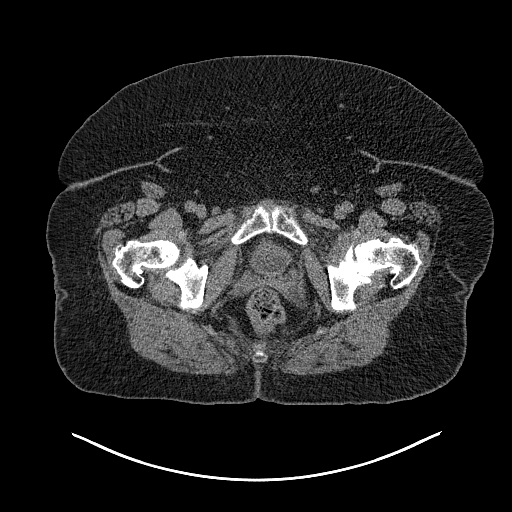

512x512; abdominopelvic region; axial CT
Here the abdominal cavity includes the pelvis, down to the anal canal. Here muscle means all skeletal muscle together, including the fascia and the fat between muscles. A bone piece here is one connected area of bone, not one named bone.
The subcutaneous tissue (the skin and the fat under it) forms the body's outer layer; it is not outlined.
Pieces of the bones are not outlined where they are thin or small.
Outlines:
abdominal cavity: 264 232; 282 235; 300 246; 302 263; 306 275; 314 287; 315 294; 313 303; 311 304; 304 320; 300 324; 289 330; 283 331; 278 337; 272 339; 252 339; 240 332; 218 312; 215 298; 227 287; 233 278; 238 247; 254 236
torso: 260 54; 334 58; 386 70; 441 105; 474 143; 493 242; 467 300; 467 345; 458 372; 430 393; 383 404; 286 405; 260 398; 196 404; 77 388; 54 352; 54 275; 46 243; 49 209; 64 188; 57 167; 66 143; 132 82; 183 63
muscle: 140 180; 152 181; 164 187; 167 198; 184 221; 193 226; 230 207; 273 198; 308 207; 344 228; 356 224; 358 216; 372 200; 374 188; 397 181; 414 186; 433 200; 440 212; 441 223; 431 263; 409 304; 392 322; 389 346; 373 361; 322 374; 286 374; 276 372; 267 363; 261 366; 250 363; 231 375; 190 374; 162 367; 141 357; 130 346; 123 315; 110 298; 97 259; 97 228; 101 215, around holes outlined by 257 205; 268 211; 275 205; 294 207; 295 217; 308 238; 308 242; 300 246; 300 256; 315 293; 304 320; 272 339; 252 339; 243 334; 218 312; 215 302; 233 278; 237 250; 241 246; 232 243; 230 238; 246 217; 244 211; 251 211 and by 392 236; 417 246; 422 264; 409 284; 394 289; 390 286; 391 275; 387 268; 375 271; 370 284; 361 285; 355 290; 354 300; 360 304; 356 309; 334 310; 330 303; 331 292; 326 265; 336 265; 352 243; 355 245; 371 238; 386 242 and by 131 239; 142 242; 168 239; 178 246; 182 257; 190 254; 199 266; 205 262; 208 272; 202 304; 196 309; 179 308; 176 303; 179 301; 180 288; 164 276; 166 270; 163 268; 144 268; 144 282; 140 287; 124 285; 112 261; 114 248 and by 257 343; 263 343; 263 344; 260 347; 260 349; 262 351; 263 351; 266 354; 267 354; 267 355; 268 356; 266 362; 256 362; 255 361; 254 361; 252 359; 252 358; 254 355; 254 353; 255 352; 255 351; 258 348; 256 346; 256 344
bones 1: 392 236; 417 246; 422 264; 409 284; 394 289; 390 286; 391 275; 387 268; 375 271; 370 284; 361 285; 355 290; 354 300; 360 304; 356 309; 334 310; 330 303; 331 292; 326 265; 336 265; 352 243; 355 245; 371 238; 386 242
bones 2: 131 239; 142 242; 168 239; 178 246; 182 257; 190 254; 199 266; 205 262; 208 272; 202 304; 196 309; 179 308; 176 303; 179 301; 180 288; 164 276; 166 270; 163 268; 144 268; 144 282; 140 287; 124 285; 112 261; 114 248
bones 3: 257 205; 263 206; 268 211; 270 211; 275 205; 287 207; 293 206; 295 217; 299 225; 306 234; 308 242; 304 245; 300 245; 282 234; 264 231; 254 235; 241 244; 232 243; 230 241; 231 236; 246 217; 244 211; 251 211
bones 4: 257 343; 263 343; 263 344; 260 347; 260 349; 262 351; 263 351; 266 354; 267 354; 267 355; 268 356; 266 362; 256 362; 255 361; 254 361; 252 359; 252 358; 254 355; 254 353; 255 352; 255 351; 258 348; 256 346; 256 344